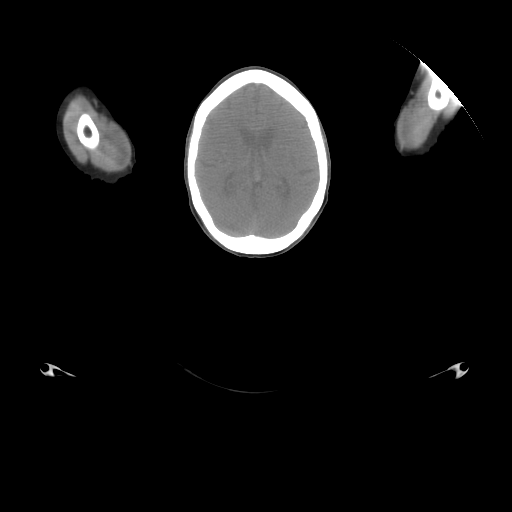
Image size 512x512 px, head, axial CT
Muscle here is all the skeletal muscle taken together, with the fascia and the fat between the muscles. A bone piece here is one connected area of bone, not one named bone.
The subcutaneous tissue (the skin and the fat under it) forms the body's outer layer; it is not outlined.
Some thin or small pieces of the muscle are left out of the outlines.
Outlines (x, y in pixels):
muscle 1: [[77,93],[84,93],[86,95],[88,95],[95,101],[99,106],[101,111],[110,120],[114,122],[125,134],[131,150],[131,162],[129,166],[123,171],[114,173],[107,173],[98,169],[86,167],[83,164],[79,163],[69,150],[63,135],[62,117],[68,102]]; inner edge: [[83,113],[87,113],[90,116],[93,122],[95,124],[98,130],[98,132],[99,133],[99,143],[98,145],[94,149],[89,149],[85,147],[80,142],[77,136],[77,133],[76,132],[76,126],[77,125],[77,122],[78,121],[79,117],[81,115],[81,114]]
muscle 2: [[429,67],[434,72],[434,75],[428,84],[428,88],[426,92],[427,106],[431,110],[440,112],[450,103],[451,91],[455,94],[460,102],[457,105],[451,117],[438,126],[420,147],[415,149],[405,149],[402,148],[398,140],[398,122],[403,108],[419,89]]
left arm: [[420,61],[427,65],[445,82],[448,87],[457,97],[461,104],[461,108],[459,110],[455,119],[445,129],[438,139],[437,143],[428,153],[421,157],[403,158],[397,153],[393,145],[393,121],[398,113],[400,104],[408,91],[411,79],[416,67],[420,64]]
right arm: [[80,83],[87,84],[94,90],[109,108],[114,117],[126,128],[135,146],[136,163],[133,167],[131,174],[122,178],[115,184],[108,184],[97,179],[92,180],[87,175],[80,172],[70,162],[58,142],[55,130],[55,118],[58,106],[65,94],[74,86]]
head: [[252,64],[263,65],[281,72],[298,86],[315,109],[323,124],[332,161],[329,200],[323,213],[300,243],[286,253],[270,258],[237,257],[223,251],[212,243],[201,231],[190,213],[182,177],[184,140],[190,119],[196,107],[213,84],[224,74],[238,67]]
brain: [[248,84],[262,84],[268,87],[289,103],[304,118],[316,155],[318,179],[315,191],[308,206],[289,231],[273,237],[267,237],[253,233],[232,235],[220,229],[216,225],[202,198],[196,177],[196,161],[198,157],[199,143],[207,117],[212,110],[227,97]]
bones 1: [[247,69],[263,69],[276,74],[297,88],[309,100],[319,118],[327,158],[328,180],[323,202],[319,210],[304,232],[296,240],[281,250],[263,254],[234,251],[216,240],[207,230],[193,206],[187,181],[187,153],[189,140],[193,118],[199,104],[225,79]]; inner edge: [[248,84],[262,84],[268,87],[289,103],[304,118],[316,155],[318,179],[315,191],[308,206],[289,231],[273,237],[267,237],[253,233],[232,235],[220,229],[216,225],[202,198],[196,177],[196,161],[198,157],[199,143],[207,117],[212,110],[227,97]]
bones 2: [[435,73],[437,74],[437,75],[439,76],[439,77],[441,78],[444,82],[445,82],[451,90],[450,91],[450,100],[449,101],[449,103],[440,111],[437,111],[436,110],[431,109],[427,104],[427,92],[429,88],[429,84],[432,78],[435,75]]
bones 3: [[83,113],[87,113],[90,116],[93,122],[95,124],[98,130],[98,132],[99,133],[99,143],[98,145],[94,149],[89,149],[85,147],[80,142],[77,136],[77,133],[76,132],[76,126],[77,125],[77,122],[78,121],[79,117],[81,115],[81,114]]